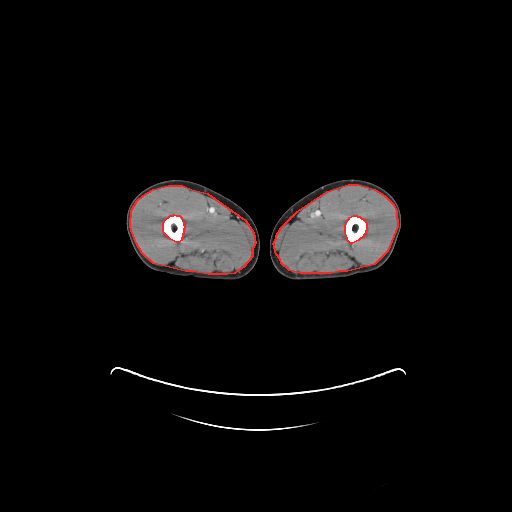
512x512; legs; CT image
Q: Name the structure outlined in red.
A: red: muscle.
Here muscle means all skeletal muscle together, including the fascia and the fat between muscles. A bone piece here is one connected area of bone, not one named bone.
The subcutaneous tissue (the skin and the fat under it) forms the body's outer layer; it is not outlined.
Outlined structures:
muscle 1: 168,185 182,185 191,189 207,193 245,220 253,232 255,243 252,248 252,256 243,267 234,273 227,274 208,274 192,271 185,271 153,263 142,253 136,243 131,230 130,226 131,210 137,200 143,195 153,189 with a hole at 174,214 176,215 179,215 181,217 183,221 183,224 184,225 184,228 183,229 183,233 182,234 182,237 181,238 181,240 178,242 176,242 170,239 164,233 163,231 163,222 164,220 170,215 173,215
muscle 2: 348,184 358,184 374,189 384,195 393,204 396,211 397,226 387,251 374,264 347,271 338,271 331,273 300,273 289,270 281,263 280,259 276,254 273,243 276,238 276,235 281,227 297,211 327,191, around a hole outlined by 353,215 356,215 357,216 359,216 365,221 366,223 366,230 365,231 365,233 361,238 360,238 358,240 352,243 350,243 347,240 347,237 345,233 345,224 347,220 349,218 349,217
right leg: 168,179 184,179 204,185 231,199 248,213 258,230 260,239 260,249 257,261 252,270 247,275 237,280 203,279 187,276 178,276 152,270 140,260 132,247 126,231 126,212 128,206 132,199 141,190 154,183
left leg: 349,178 362,179 372,182 388,191 396,200 401,212 401,229 394,249 389,258 383,265 373,271 366,273 359,273 343,278 291,280 281,275 275,269 269,254 270,235 277,220 292,204 316,188 329,182
bones 1: 353,215 356,215 357,216 359,216 365,221 366,223 366,230 365,231 365,233 361,238 360,238 358,240 352,243 350,243 347,240 347,237 345,233 345,224 347,220 349,218 349,217
bones 2: 174,214 176,215 179,215 181,217 183,221 183,224 184,225 184,228 183,229 183,233 182,234 182,237 181,238 181,240 178,242 176,242 170,239 164,233 163,231 163,222 164,220 170,215 173,215